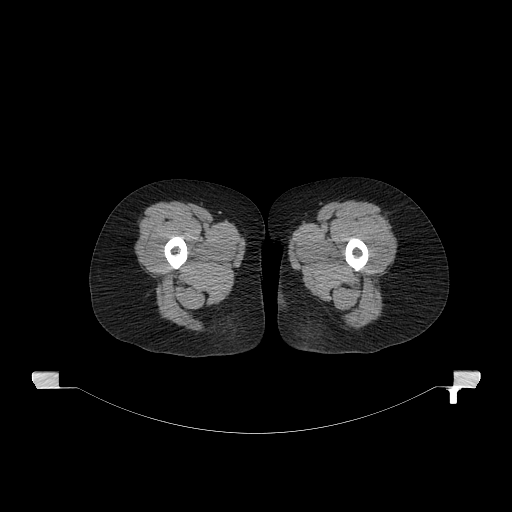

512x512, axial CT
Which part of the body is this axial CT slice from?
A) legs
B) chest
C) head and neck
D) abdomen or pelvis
Answer: A) legs
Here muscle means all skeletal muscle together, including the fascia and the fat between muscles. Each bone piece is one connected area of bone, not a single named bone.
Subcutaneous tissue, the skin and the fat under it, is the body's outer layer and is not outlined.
{"left_leg":[[[338,176],[370,177],[402,190],[419,205],[431,221],[448,261],[449,293],[438,318],[413,339],[372,353],[322,354],[296,350],[282,341],[277,328],[277,283],[281,250],[279,245],[274,246],[271,243],[267,234],[266,224],[270,206],[279,195],[294,186]]],"right_leg":[[[169,178],[204,180],[230,187],[251,199],[261,213],[266,231],[262,250],[265,331],[259,345],[250,351],[233,355],[204,357],[186,357],[151,352],[116,339],[101,326],[94,315],[90,300],[88,274],[92,252],[105,220],[113,208],[133,190],[145,184]]],"bones":[[[354,237],[359,238],[361,240],[362,240],[365,243],[368,249],[368,259],[366,263],[364,265],[364,266],[360,270],[358,271],[356,271],[351,266],[350,266],[345,260],[345,247],[346,246],[346,244],[348,240]],[[172,236],[180,236],[186,243],[186,245],[187,246],[187,250],[188,251],[187,258],[185,262],[183,263],[177,269],[174,269],[171,267],[170,264],[167,261],[164,255],[164,251],[163,250],[164,249],[164,245],[165,243]]],"muscle":[{"outer":[[169,199],[202,204],[223,213],[242,232],[246,241],[244,256],[237,277],[226,301],[214,318],[212,331],[197,332],[186,329],[159,316],[155,293],[152,290],[154,286],[152,279],[141,268],[134,251],[134,245],[138,238],[137,220],[142,210],[151,203]],"hole":[[172,236],[180,236],[186,243],[186,245],[187,246],[187,250],[188,251],[187,258],[185,262],[183,263],[177,269],[174,269],[171,267],[170,264],[167,261],[164,255],[164,251],[163,250],[164,249],[164,245],[165,243]]},{"outer":[[346,199],[362,199],[378,203],[388,215],[398,239],[397,251],[392,267],[381,277],[381,294],[384,303],[383,314],[377,321],[361,329],[350,330],[343,330],[310,296],[301,278],[291,267],[288,255],[289,239],[292,232],[308,212],[328,202]],"hole":[[354,237],[359,238],[361,240],[362,240],[365,243],[368,249],[368,259],[366,263],[364,265],[364,266],[360,270],[358,271],[356,271],[351,266],[350,266],[345,260],[345,247],[346,246],[346,244],[348,240]]}]}